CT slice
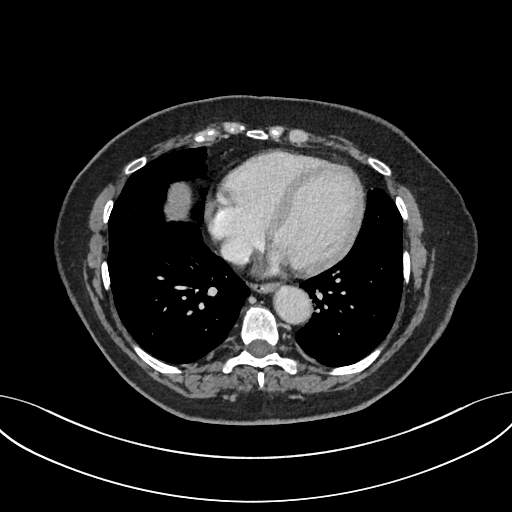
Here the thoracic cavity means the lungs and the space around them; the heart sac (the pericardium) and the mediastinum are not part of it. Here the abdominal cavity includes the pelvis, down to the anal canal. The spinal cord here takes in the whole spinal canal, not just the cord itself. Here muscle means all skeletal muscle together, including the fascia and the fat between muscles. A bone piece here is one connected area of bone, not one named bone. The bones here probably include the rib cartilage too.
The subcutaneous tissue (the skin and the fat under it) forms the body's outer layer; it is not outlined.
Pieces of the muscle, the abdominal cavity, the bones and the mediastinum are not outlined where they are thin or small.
The bones appear in 10 outlined pieces: piece 1: 251 306; 265 307; 274 315; 280 333; 276 348; 282 356; 293 358; 298 363; 294 374; 276 364; 265 366; 262 369; 262 388; 258 385; 258 369; 252 365; 238 364; 229 373; 222 371; 224 361; 239 351; 234 346; 238 340; 242 314; inner edge: 254 340; 263 340; 264 341; 265 341; 269 345; 269 346; 270 347; 270 351; 267 354; 266 354; 262 357; 256 357; 252 354; 251 354; 248 350; 248 347; 249 346; 250 343; piece 2: 224 121; 236 122; 250 129; 257 128; 266 131; 277 125; 281 125; 286 131; 297 128; 307 132; 309 139; 297 144; 290 143; 283 138; 279 141; 255 139; 240 133; 197 143; 193 140; 193 135; 196 132; 206 128; 220 128; piece 3: 381 345; 383 345; 383 348; 379 355; 367 367; 359 372; 355 372; 354 373; 350 373; 349 374; 344 374; 343 375; 331 375; 330 374; 328 374; 326 372; 335 367; 346 366; 347 365; 353 364; 368 355; 378 346; 380 346; piece 4: 132 343; 135 343; 137 344; 143 350; 144 350; 151 356; 156 358; 158 360; 160 360; 167 364; 170 364; 171 365; 177 366; 182 370; 182 372; 181 373; 162 373; 158 370; 153 368; 147 363; 146 363; 134 351; 131 346; 131 344; piece 5: 369 156; 372 156; 373 157; 375 157; 381 160; 383 162; 384 162; 389 167; 389 168; 391 170; 391 175; 390 176; 384 176; 380 174; 375 169; 374 169; 370 165; 369 165; 366 162; 366 159; 367 157; piece 6: 142 155; 145 155; 146 156; 146 157; 147 158; 147 162; 142 167; 141 167; 139 169; 136 170; 134 172; 131 173; 129 175; 126 175; 124 173; 124 169; 125 168; 125 167; 132 160; 133 160; 134 159; 135 159; 136 158; 137 158; piece 7: 404 249; 406 249; 409 252; 409 255; 410 256; 410 272; 409 273; 409 280; 408 281; 408 282; 407 283; 407 284; 404 284; 404 278; 403 277; 403 250; piece 8: 103 260; 106 260; 106 261; 107 262; 107 268; 108 269; 108 273; 109 274; 109 280; 110 281; 110 290; 106 290; 105 289; 105 288; 104 287; 104 285; 103 284; 103 281; 102 280; 102 276; 101 275; 101 263; 102 262; 102 261; piece 9: 398 194; 399 194; 402 197; 405 203; 405 205; 406 206; 406 209; 407 210; 407 214; 408 215; 408 217; 405 221; 403 221; 402 219; 402 217; 395 203; 395 200; 394 199; 396 195; piece 10: 109 198; 111 198; 113 200; 113 206; 112 207; 112 209; 111 210; 111 212; 110 213; 110 215; 109 216; 109 218; 108 219; 108 221; 106 225; 104 224; 103 222; 103 207; 104 206; 104 204; 105 202. The thoracic cavity appears in 2 outlined pieces: piece 1: 202 146; 206 148; 206 169; 203 176; 196 179; 196 184; 205 189; 201 224; 202 240; 244 281; 250 292; 221 347; 199 361; 175 365; 158 359; 143 349; 120 319; 111 291; 107 261; 108 222; 114 200; 131 174; 148 162; 173 150, around a hole outlined by 178 182; 191 182; 193 184; 195 184; 195 192; 197 197; 193 206; 191 208; 191 210; 190 211; 190 219; 189 220; 187 220; 186 221; 167 221; 165 219; 165 216; 164 215; 164 204; 167 199; 167 194; 170 186; 172 184; 177 183; piece 2: 374 188; 380 188; 390 194; 402 220; 403 285; 399 305; 389 331; 374 349; 353 363; 329 367; 306 357; 295 337; 295 333; 307 323; 313 312; 312 301; 305 290; 300 287; 300 282; 333 266; 348 253; 362 224; 366 208; 367 192. The muscle appears in 3 outlined pieces: piece 1: 128 162; 123 169; 123 173; 128 176; 118 195; 114 199; 109 197; 102 207; 102 222; 107 225; 107 253; 106 259; 100 263; 100 275; 104 289; 112 294; 121 323; 135 341; 130 344; 131 348; 146 364; 160 373; 181 374; 183 370; 178 366; 199 362; 218 350; 227 343; 240 321; 237 340; 233 346; 238 351; 223 361; 221 371; 229 374; 238 365; 252 366; 257 369; 256 379; 260 389; 264 386; 263 369; 269 365; 276 365; 290 375; 298 372; 298 361; 293 357; 282 355; 277 348; 281 335; 304 357; 331 368; 325 372; 328 375; 349 375; 367 368; 384 348; 383 344; 379 345; 394 323; 403 286; 408 284; 411 272; 410 252; 403 248; 403 222; 409 215; 403 197; 399 193; 392 197; 388 189; 384 177; 392 175; 390 167; 415 198; 423 221; 423 231; 434 249; 430 295; 422 321; 387 361; 347 389; 308 396; 304 399; 252 390; 234 401; 204 400; 178 393; 150 377; 112 340; 97 317; 84 283; 82 265; 89 214; 97 195; piece 2: 220 121; 223 121; 220 127; 206 127; 196 131; 192 135; 192 140; 195 143; 213 142; 217 139; 222 138; 227 138; 228 137; 232 135; 243 134; 245 136; 231 136; 228 138; 206 146; 173 149; 149 161; 145 154; 136 157; 153 144; 178 134; 185 134; 211 122; piece 3: 305 130; 316 134; 319 134; 320 135; 334 134; 335 135; 341 136; 353 142; 362 150; 372 155; 367 156; 365 159; 365 162; 371 167; 363 163; 355 157; 344 152; 339 151; 336 149; 327 148; 326 147; 320 147; 319 146; 294 145; 293 144; 288 144; 287 143; 283 143; 282 142; 277 142; 279 142; 282 139; 283 139; 290 144; 296 144; 300 145; 301 144; 306 143; 310 139; 310 137; 308 132. The torso is outlined by 231 94; 311 98; 381 116; 404 131; 445 174; 475 223; 475 267; 443 333; 401 383; 365 408; 279 424; 230 425; 179 417; 148 400; 116 372; 94 343; 59 277; 53 254; 57 216; 72 181; 92 156; 116 134; 149 114; 190 100. The abdominal cavity is outlined by 178 182; 191 182; 193 184; 195 184; 195 192; 197 197; 193 206; 191 208; 191 210; 190 211; 190 219; 189 220; 187 220; 186 221; 167 221; 165 219; 165 216; 164 215; 164 204; 167 199; 167 194; 170 186; 172 184; 177 183. The spinal cord is outlined by 254 340; 263 340; 264 341; 265 341; 269 345; 269 346; 270 347; 270 351; 267 354; 266 354; 262 357; 256 357; 252 354; 251 354; 248 350; 248 347; 249 346; 250 343. The mediastinum appears in 2 outlined pieces: piece 1: 244 280; 259 283; 299 282; 299 287; 304 290; 307 294; 312 306; 312 312; 309 319; 294 333; 297 345; 303 355; 294 346; 290 345; 281 334; 275 315; 267 307; 261 305; 251 305; 243 311; 236 328; 224 345; 229 330; 251 292; piece 2: 231 137; 247 137; 294 146; 336 150; 355 158; 383 177; 389 193; 380 187; 365 189; 362 180; 354 168; 338 154; 319 150; 273 146; 248 150; 234 158; 219 170; 206 193; 206 189; 197 183; 197 179; 203 177; 207 169; 206 147. The pericardium is outlined by 270 147; 319 151; 338 155; 353 168; 361 180; 364 189; 367 191; 361 224; 347 253; 333 265; 315 275; 300 281; 259 282; 243 279; 223 258; 214 253; 203 240; 202 224; 204 221; 204 200; 212 182; 220 170; 234 159; 248 151.